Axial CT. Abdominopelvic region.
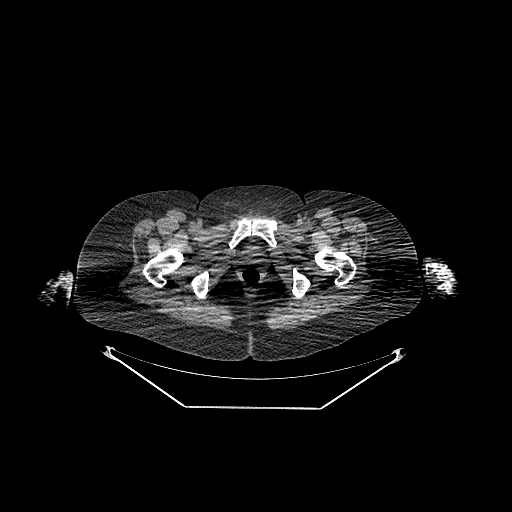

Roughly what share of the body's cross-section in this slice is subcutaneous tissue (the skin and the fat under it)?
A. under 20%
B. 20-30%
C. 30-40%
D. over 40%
Answer: D. over 40%
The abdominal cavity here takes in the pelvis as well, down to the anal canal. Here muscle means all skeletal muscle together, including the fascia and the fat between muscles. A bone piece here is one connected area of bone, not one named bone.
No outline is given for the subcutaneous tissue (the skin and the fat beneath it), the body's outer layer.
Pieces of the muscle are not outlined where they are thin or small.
{"right_arm":[[[61,268],[68,269],[72,274],[73,283],[71,287],[71,295],[69,298],[69,300],[70,301],[67,307],[61,307],[60,308],[48,308],[47,309],[45,309],[42,306],[41,306],[37,300],[38,294],[40,291],[43,289],[44,285],[48,281],[50,277]]],"muscle":[{"outer":[[327,206],[359,217],[367,223],[369,233],[367,269],[375,286],[366,296],[344,309],[324,314],[290,330],[268,328],[266,312],[288,298],[286,286],[272,265],[268,267],[254,299],[244,295],[240,280],[231,267],[212,288],[212,300],[228,308],[233,315],[229,330],[182,323],[135,303],[120,293],[119,285],[129,274],[133,263],[130,249],[133,228],[154,213],[179,208],[189,219],[207,228],[249,210],[296,224],[316,209]],"holes":[[[244,217],[271,218],[277,222],[278,226],[278,229],[275,232],[277,246],[269,250],[271,256],[269,263],[258,290],[254,294],[248,292],[235,266],[234,255],[236,253],[236,249],[230,249],[228,245],[228,241],[231,238],[233,231],[230,228],[230,223]],[[327,245],[332,246],[336,250],[345,251],[353,259],[356,264],[356,273],[342,287],[337,287],[334,283],[334,278],[339,274],[337,271],[335,270],[331,272],[325,272],[316,265],[313,261],[313,255],[317,251],[317,249],[321,246],[326,246]],[[170,247],[176,247],[180,252],[183,253],[184,255],[184,262],[176,270],[175,273],[171,273],[166,277],[166,283],[162,287],[156,287],[153,284],[149,282],[144,276],[142,272],[143,266],[144,264],[149,259],[153,257],[157,252],[161,250],[164,250]],[[205,270],[208,270],[208,273],[209,274],[209,279],[208,280],[208,292],[206,294],[206,297],[205,298],[203,299],[198,299],[196,295],[194,293],[193,291],[193,289],[190,283],[191,282],[191,280],[194,276],[195,276],[197,274]],[[294,267],[296,267],[297,269],[301,273],[305,275],[309,279],[310,281],[310,285],[307,291],[302,296],[302,297],[298,299],[296,299],[294,298],[294,296],[291,291],[292,290],[292,286],[293,285],[293,268]]]},[[59,286],[60,286],[63,289],[64,291],[66,292],[68,292],[67,294],[65,296],[63,297],[60,297],[59,298],[51,298],[49,297],[47,294],[47,290],[48,293],[52,295],[54,294],[56,291],[55,288]],[[429,274],[435,274],[435,276],[436,277],[436,278],[438,280],[438,281],[439,282],[439,284],[438,284],[437,283],[436,283],[435,282],[434,282],[433,281],[432,281],[432,280],[429,277],[429,276],[428,275]],[[57,276],[57,280],[56,281],[55,281],[53,283],[52,283],[51,284],[52,285],[52,286],[51,286],[50,287],[49,287],[49,286],[50,285],[50,284],[52,282],[52,281]]],"torso":[[[254,184],[282,186],[301,196],[319,189],[351,192],[388,209],[410,235],[421,266],[421,298],[409,313],[304,357],[223,361],[101,328],[85,320],[74,307],[73,276],[81,246],[94,224],[114,205],[151,191],[182,189],[202,198],[219,188]]],"bones":[[[244,217],[274,219],[277,222],[278,226],[278,229],[275,232],[277,246],[275,248],[270,249],[270,246],[265,240],[259,236],[252,235],[245,237],[233,249],[230,249],[228,241],[231,238],[233,231],[230,228],[230,223],[234,220],[239,220]],[[327,245],[332,246],[336,250],[345,251],[353,259],[356,264],[356,273],[342,287],[337,287],[334,283],[334,278],[339,274],[337,271],[335,270],[331,272],[325,272],[316,265],[313,261],[313,255],[317,251],[317,249],[321,246],[326,246]],[[170,247],[176,247],[180,252],[183,253],[184,255],[184,262],[176,270],[175,273],[171,273],[166,277],[166,283],[162,287],[156,287],[153,284],[149,282],[144,276],[142,272],[143,266],[144,264],[149,259],[153,257],[157,252],[161,250],[164,250]],[[433,261],[434,262],[438,262],[445,264],[451,271],[454,279],[453,281],[451,282],[452,283],[452,287],[450,290],[451,293],[447,293],[443,289],[438,288],[438,285],[440,284],[440,282],[435,273],[429,273],[428,274],[426,273],[425,265],[427,263]],[[294,267],[296,267],[297,269],[301,273],[305,275],[309,279],[310,281],[310,285],[307,291],[302,296],[302,297],[298,299],[296,299],[294,298],[294,296],[291,291],[292,290],[292,286],[293,285],[293,268]],[[205,270],[208,270],[208,273],[209,274],[209,279],[208,280],[208,292],[206,294],[206,297],[205,298],[203,299],[198,299],[196,295],[194,293],[193,291],[193,289],[190,283],[191,282],[191,280],[194,276],[195,276],[197,274]],[[65,273],[68,279],[68,284],[67,285],[67,287],[66,289],[64,290],[64,289],[60,285],[58,286],[56,286],[55,287],[53,286],[53,284],[55,283],[58,280],[58,276],[59,274],[64,274]],[[51,287],[52,287],[53,288],[54,288],[54,289],[55,290],[55,291],[54,292],[54,293],[53,293],[52,294],[51,294],[50,293],[49,293],[49,292],[48,291],[48,290],[49,289],[49,288],[50,288]]],"abdominal_cavity":[[[252,236],[259,237],[265,241],[269,248],[269,253],[271,256],[269,263],[259,285],[258,290],[254,294],[248,292],[248,290],[244,284],[237,268],[235,266],[235,262],[234,261],[234,255],[236,253],[236,249],[235,248],[242,240],[247,237],[251,237]]],"left_arm":[[[430,255],[437,255],[441,257],[445,261],[451,272],[454,273],[454,276],[458,282],[458,286],[459,287],[459,289],[454,297],[452,297],[443,301],[436,301],[430,296],[427,289],[427,284],[423,281],[422,266],[421,265],[421,261],[423,258]]]}